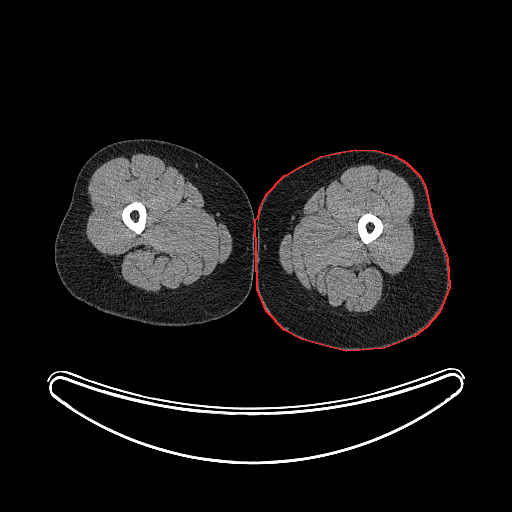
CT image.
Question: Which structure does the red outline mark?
Answer: red: left leg.
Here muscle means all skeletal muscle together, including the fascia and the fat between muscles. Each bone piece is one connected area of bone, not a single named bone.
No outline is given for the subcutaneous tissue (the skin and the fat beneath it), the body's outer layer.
The left leg is outlined by 355,149 376,150 394,155 406,162 419,175 425,186 431,215 447,258 449,287 439,312 426,327 414,336 384,348 346,351 301,339 284,330 266,311 257,289 255,219 258,217 260,206 266,194 284,175 320,156. The right leg is outlined by 128,139 162,140 193,150 225,170 245,191 254,215 255,277 247,297 231,313 216,320 190,326 144,324 106,314 87,305 72,296 60,280 55,267 54,244 59,226 70,204 76,178 85,162 95,152 111,143. The bones appear in 2 outlined pieces: piece 1: 136,200 137,201 141,202 145,206 145,208 146,209 146,223 145,224 145,227 144,229 140,234 136,234 132,230 131,230 123,222 122,218 121,217 122,210 124,208 124,207 131,202 135,201; piece 2: 368,212 371,212 381,220 383,224 383,229 380,235 376,239 370,242 368,244 365,244 361,240 359,236 359,234 358,233 358,230 357,229 357,223 358,222 358,220 359,218 362,215 362,214 364,213 367,213. The muscle appears in 2 outlined pieces: piece 1: 361,164 372,164 389,169 401,176 411,187 414,195 414,253 405,268 394,277 385,302 375,314 372,316 359,315 356,317 340,316 320,305 289,279 280,264 278,251 287,227 310,196 319,187 337,175 343,168, around a hole outlined by 368,212 371,212 381,220 383,224 383,229 380,235 376,239 370,242 368,244 365,244 361,240 359,236 359,234 358,233 358,230 357,229 357,223 358,222 358,220 359,218 362,215 362,214 364,213 367,213; piece 2: 134,153 157,156 175,167 197,187 212,205 231,235 232,250 227,260 220,264 203,283 187,293 169,297 158,297 131,286 114,271 110,261 86,237 87,219 92,210 87,187 93,172 101,164 114,157 132,155 with a hole at 136,200 137,201 141,202 145,206 145,208 146,209 146,223 145,224 145,227 144,229 140,234 136,234 132,230 131,230 123,222 122,218 121,217 122,210 124,208 124,207 131,202 135,201.